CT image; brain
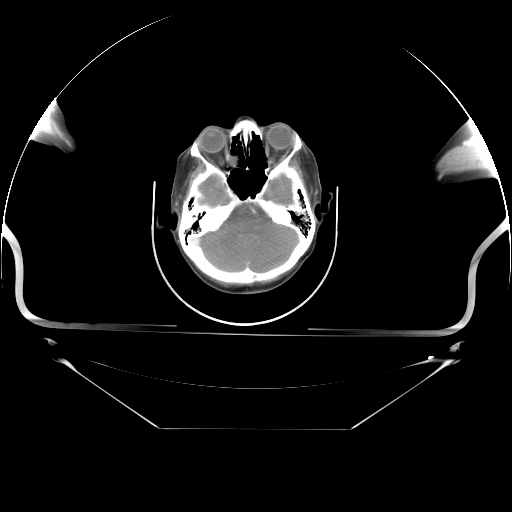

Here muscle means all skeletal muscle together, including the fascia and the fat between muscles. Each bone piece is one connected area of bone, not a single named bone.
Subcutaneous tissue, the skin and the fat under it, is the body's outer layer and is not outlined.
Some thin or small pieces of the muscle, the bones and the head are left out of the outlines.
The left arm is outlined by 469,119 471,119 475,123 487,145 487,147 492,156 493,161 497,169 498,179 491,178 485,180 478,180 464,183 456,186 447,186 446,187 437,186 428,177 427,173 428,166 432,158 441,148 448,138 461,124. The bones are outlined by 242,119 262,126 263,139 253,135 246,158 236,143 238,138 233,138 230,151 239,157 239,166 230,170 231,187 241,198 253,196 266,178 267,164 272,167 292,150 295,131 302,146 289,164 302,179 316,218 312,241 293,267 250,283 226,282 204,274 184,252 177,230 190,183 205,168 199,158 191,156 192,143 197,140 199,152 227,170 228,130 with holes at 244,204 252,204 257,206 273,223 285,226 293,230 295,233 297,240 287,257 280,263 264,270 255,270 248,266 237,270 229,270 217,266 206,256 200,244 200,238 207,233 218,230 230,217 234,210 237,207 and at 211,176 215,176 217,178 216,180 216,184 218,186 219,186 220,188 221,188 223,192 227,196 228,200 225,203 217,203 214,205 212,205 206,202 201,202 200,201 204,198 205,195 199,187 200,185 201,185 and at 281,176 284,176 287,179 288,179 290,182 290,188 289,189 290,190 290,194 291,195 291,202 289,203 282,203 281,202 275,201 271,198 266,198 265,197 266,192 270,187 270,184 271,182 279,178. The right arm is outlined by 54,99 56,100 57,103 59,104 61,109 63,111 67,126 77,141 77,145 78,146 77,152 72,155 67,155 53,147 50,147 47,145 44,145 41,143 36,142 32,139 29,139 34,126 40,116 47,106. The head is outlined by 241,114 260,126 281,121 294,128 316,158 321,209 327,208 328,192 333,194 315,248 297,273 272,290 250,295 206,285 182,259 169,231 156,228 160,207 163,220 176,226 170,193 177,156 205,126 229,129, around a hole outlined by 254,135 259,138 264,151 266,165 263,174 265,178 253,195 249,193 241,197 229,181 231,170 240,166 240,157 237,153 231,151 232,143 234,138 237,138 235,143 242,148 242,155 246,159 250,155. The muscle appears in 5 outlined pieces: piece 1: 476,129 479,130 486,143 486,156 495,165 497,169 497,172 496,173 486,173 485,174 479,174 478,175 468,175 467,176 456,177 452,179 440,179 437,176 436,169 437,168 437,160 442,153 447,149 455,146; piece 2: 189,150 190,156 199,159 203,164 204,168 203,170 198,172 190,181 186,195 182,201 181,211 180,214 179,214 175,207 175,199 178,186 180,183 180,174 182,171 182,166 184,162 184,158; piece 3: 303,146 308,156 310,171 311,174 313,176 313,182 315,184 315,188 317,191 316,203 313,209 311,207 310,199 308,196 307,189 305,186 303,179 300,176 296,168 293,165 290,164 290,161 295,153 299,151; piece 4: 51,102 52,102 52,105 54,108 54,112 60,127 60,136 58,137 55,137 54,136 45,136 41,134 38,134 37,133 34,133 32,132 34,128 34,126 36,124 40,116 47,107 47,106; piece 5: 289,270 290,270 286,274 275,281 273,281 266,284 253,285 252,286 230,286 229,287 227,287 216,283 206,276 208,276 218,281 225,282 226,283 234,283 235,284 250,284 254,282 260,282 261,281 271,280. The brain appears in 3 outlined pieces: piece 1: 244,204 252,204 257,206 273,223 285,226 293,230 295,233 297,240 287,257 280,263 264,270 255,270 248,266 237,270 229,270 217,266 206,256 200,244 200,238 207,233 218,230 230,217 234,210 237,207; piece 2: 211,176 215,176 217,178 216,180 216,184 218,186 219,186 220,188 221,188 223,192 227,196 228,200 225,203 217,203 214,205 212,205 206,202 201,202 200,201 204,198 205,195 199,187 200,185 201,185; piece 3: 281,176 284,176 287,179 288,179 290,182 290,188 289,189 290,190 290,194 291,195 291,202 289,203 282,203 281,202 275,201 271,198 266,198 265,197 266,192 270,187 270,184 271,182 279,178.